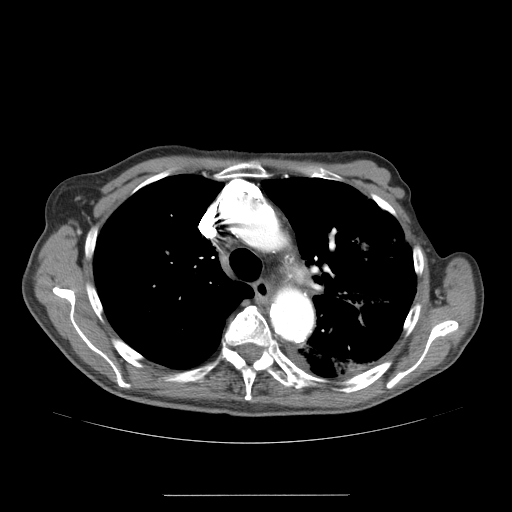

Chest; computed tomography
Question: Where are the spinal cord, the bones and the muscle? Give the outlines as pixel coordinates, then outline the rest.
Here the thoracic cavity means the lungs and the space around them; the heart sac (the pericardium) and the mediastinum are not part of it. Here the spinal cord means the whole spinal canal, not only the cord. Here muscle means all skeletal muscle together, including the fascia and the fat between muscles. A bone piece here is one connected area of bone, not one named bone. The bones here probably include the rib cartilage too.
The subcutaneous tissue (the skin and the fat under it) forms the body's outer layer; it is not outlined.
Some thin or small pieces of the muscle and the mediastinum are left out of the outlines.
Answer: Outlined structures:
spinal cord: [[247,343],[252,343],[253,344],[254,344],[261,348],[261,354],[260,355],[260,356],[257,359],[256,359],[251,363],[248,363],[245,360],[245,359],[240,354],[240,353],[239,352],[239,348],[240,347],[240,346],[241,346],[244,344],[246,344]]
bones 1: [[247,305],[256,306],[281,350],[297,367],[331,382],[298,389],[285,386],[266,370],[260,370],[251,386],[251,399],[247,401],[244,398],[246,390],[241,372],[225,360],[199,381],[162,379],[164,375],[189,370],[212,360],[221,348],[221,339],[228,323]] with a hole at [[247,343],[252,343],[253,344],[254,344],[261,348],[261,354],[260,355],[260,356],[257,359],[256,359],[251,363],[248,363],[245,360],[245,359],[240,354],[240,353],[239,352],[239,348],[240,347],[240,346],[241,346],[244,344],[246,344]]
bones 2: [[55,286],[71,289],[74,292],[75,303],[73,317],[76,324],[89,341],[111,360],[120,372],[122,378],[131,385],[129,388],[118,385],[115,372],[109,363],[102,356],[92,350],[79,335],[70,319],[71,305],[65,298],[62,298],[53,292],[52,289]]
bones 3: [[252,159],[256,159],[264,168],[271,172],[273,175],[270,177],[263,178],[262,177],[250,177],[249,176],[245,176],[244,177],[234,177],[233,178],[225,178],[221,180],[216,180],[213,179],[210,176],[221,171],[228,166],[233,165],[239,162],[247,161]]
bones 4: [[386,360],[391,360],[392,361],[392,363],[389,368],[380,377],[369,385],[361,389],[352,391],[351,392],[343,392],[342,391],[338,391],[335,389],[335,388],[339,386],[334,382],[339,382],[340,381],[349,379],[360,373],[362,373],[372,368],[374,366]]
bones 5: [[449,319],[455,320],[458,323],[457,329],[443,336],[436,337],[431,342],[426,354],[417,367],[405,375],[393,387],[387,388],[386,383],[390,379],[395,376],[397,373],[404,371],[411,367],[418,360],[425,348],[429,334],[433,326],[444,320]]
bones 6: [[114,336],[118,336],[126,344],[127,344],[131,348],[132,348],[134,350],[141,354],[144,357],[144,359],[141,361],[144,365],[143,367],[141,367],[140,368],[129,363],[127,361],[126,361],[118,353],[118,352],[114,347],[111,341],[111,338]]
bones 7: [[298,165],[315,165],[316,166],[323,167],[325,169],[327,169],[339,175],[343,179],[343,181],[338,181],[337,180],[333,180],[332,179],[326,179],[321,177],[311,177],[310,176],[305,176],[304,175],[302,175],[295,171],[293,168],[295,166],[297,166]]
bones 8: [[88,281],[92,283],[94,285],[96,289],[98,297],[102,305],[102,307],[103,308],[103,313],[102,314],[102,316],[103,317],[103,320],[104,321],[103,322],[101,322],[100,321],[97,315],[95,313],[89,301],[88,295],[86,291],[86,282]]
bones 9: [[418,302],[420,303],[421,305],[421,308],[420,309],[420,312],[419,313],[419,317],[413,329],[411,331],[411,332],[408,335],[408,336],[405,337],[403,335],[403,333],[402,332],[404,321],[408,314],[408,312],[411,306],[415,303],[417,303]]
bones 10: [[95,224],[97,224],[98,225],[98,234],[97,235],[96,241],[95,242],[95,247],[94,248],[94,251],[93,252],[93,256],[92,258],[88,259],[85,256],[84,245],[85,244],[85,240],[86,239],[86,237],[87,236],[88,232],[90,230],[91,227]]
bones 11: [[170,168],[173,168],[174,169],[174,171],[171,175],[163,177],[156,181],[154,181],[151,183],[149,183],[141,187],[134,193],[130,194],[132,190],[137,185],[138,185],[141,182],[142,182],[147,178],[155,174],[157,174],[164,170],[166,170]]
bones 12: [[415,245],[418,245],[421,248],[421,249],[422,250],[422,252],[423,253],[423,269],[422,270],[422,272],[421,273],[421,275],[420,276],[417,276],[417,275],[416,274],[416,273],[414,270],[414,262],[413,261],[413,252],[412,251],[412,248]]
bones 13: [[371,193],[374,193],[375,194],[378,195],[380,197],[381,197],[386,201],[387,201],[392,206],[392,207],[395,210],[395,211],[396,212],[396,214],[397,215],[397,217],[395,217],[388,211],[382,209],[376,203],[376,202],[370,197],[370,194]]
muscle 1: [[179,154],[247,160],[228,165],[209,176],[207,173],[173,174],[175,169],[170,167],[137,184],[99,231],[99,225],[95,223],[86,234],[83,251],[88,260],[92,259],[94,284],[86,281],[85,291],[99,321],[105,321],[104,314],[117,334],[110,341],[126,362],[140,369],[145,366],[142,361],[145,359],[178,370],[164,374],[161,379],[188,383],[201,381],[225,361],[241,374],[244,402],[172,398],[126,389],[132,385],[77,324],[74,317],[75,292],[58,285],[51,289],[52,292],[69,303],[69,319],[74,329],[86,345],[111,367],[115,382],[120,387],[116,386],[72,350],[34,294],[32,274],[36,257],[45,241],[60,225],[89,204],[107,182],[128,168],[148,159]]
muscle 2: [[261,157],[327,163],[367,159],[390,172],[394,184],[404,190],[405,210],[433,258],[445,267],[454,257],[461,256],[468,260],[472,268],[476,293],[475,315],[469,330],[446,360],[393,392],[353,406],[290,407],[248,402],[252,399],[252,386],[260,371],[266,371],[285,387],[298,390],[332,382],[338,386],[334,389],[343,393],[369,386],[390,368],[393,363],[391,359],[379,363],[380,359],[402,333],[405,338],[409,336],[422,308],[420,302],[412,302],[417,277],[422,275],[424,269],[424,253],[418,244],[411,247],[406,241],[397,212],[387,200],[374,192],[368,197],[344,182],[339,174],[320,165],[295,165],[293,170],[301,175],[289,172],[274,175],[254,158]] with a hole at [[449,319],[455,320],[458,323],[457,329],[443,336],[436,337],[431,342],[426,354],[417,367],[405,375],[393,387],[387,388],[386,383],[390,379],[395,376],[397,373],[404,371],[411,367],[418,360],[425,348],[429,334],[433,326],[444,320]]
torso: [[163,144],[281,152],[362,149],[383,156],[409,186],[419,223],[437,253],[444,257],[462,250],[477,261],[484,305],[475,334],[442,372],[352,413],[239,417],[150,406],[105,391],[66,358],[33,318],[22,297],[21,278],[44,229],[46,200],[58,183]]
mediastinum: [[245,177],[264,179],[262,189],[287,218],[299,253],[313,272],[317,293],[312,302],[317,318],[305,349],[282,347],[254,304],[247,304],[234,314],[242,301],[251,298],[254,292],[247,284],[227,276],[215,246],[198,228],[208,206],[224,185],[217,181]]
thoracic cavity 1: [[178,174],[207,174],[210,179],[222,183],[199,220],[197,228],[214,246],[226,276],[247,285],[253,292],[252,296],[244,298],[233,312],[221,336],[218,352],[204,363],[183,370],[146,359],[118,335],[104,313],[93,272],[97,238],[113,212],[141,188]]
thoracic cavity 2: [[285,173],[352,186],[396,218],[404,239],[411,248],[416,287],[401,333],[377,364],[343,380],[332,381],[305,371],[280,347],[305,350],[318,318],[313,302],[314,295],[318,293],[313,281],[314,272],[300,253],[295,231],[288,218],[262,187],[263,180]]